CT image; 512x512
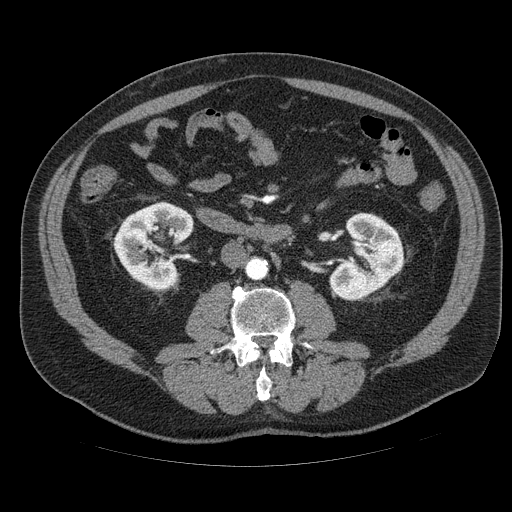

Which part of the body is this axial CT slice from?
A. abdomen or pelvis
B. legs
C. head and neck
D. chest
Answer: A. abdomen or pelvis
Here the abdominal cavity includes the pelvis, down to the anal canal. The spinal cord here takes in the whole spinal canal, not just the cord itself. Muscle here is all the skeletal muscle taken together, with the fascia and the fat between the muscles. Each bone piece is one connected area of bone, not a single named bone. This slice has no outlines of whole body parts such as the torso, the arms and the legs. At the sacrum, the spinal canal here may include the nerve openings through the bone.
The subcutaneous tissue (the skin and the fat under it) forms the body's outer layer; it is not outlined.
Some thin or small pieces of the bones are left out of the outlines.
{"muscle":[{"outer":[[252,73],[334,83],[403,109],[459,153],[481,197],[485,245],[479,278],[447,343],[428,357],[386,369],[351,400],[326,412],[295,414],[265,401],[273,384],[267,364],[290,368],[294,363],[297,318],[286,295],[290,284],[307,283],[325,299],[335,322],[329,340],[356,341],[378,356],[426,327],[452,281],[460,237],[456,192],[432,146],[407,119],[279,78],[249,77],[106,131],[87,151],[61,216],[84,311],[110,335],[152,360],[170,344],[195,341],[186,325],[200,294],[228,282],[232,336],[208,352],[228,350],[240,368],[260,362],[254,382],[260,401],[241,414],[198,413],[148,377],[87,349],[57,313],[45,279],[38,240],[40,204],[53,174],[70,154],[138,104]],"hole":[[302,341],[307,341],[309,343],[311,343],[313,345],[313,346],[314,347],[314,349],[310,349],[309,348],[306,348],[305,347],[304,347],[303,346],[302,346],[301,345],[300,345],[299,344],[299,343],[300,342],[301,342]]}],"spinal_cord":[[[256,336],[273,336],[274,337],[275,337],[275,339],[273,341],[273,342],[272,343],[272,346],[271,347],[270,347],[267,349],[264,349],[263,348],[261,348],[260,347],[260,346],[255,341],[254,341],[252,339],[252,338],[253,337],[255,337]]],"abdominal_cavity":[[[249,78],[279,79],[407,120],[445,168],[459,212],[451,281],[435,315],[402,345],[372,355],[359,341],[329,339],[336,330],[330,306],[299,280],[285,292],[210,285],[186,321],[194,341],[170,343],[152,359],[85,311],[62,216],[92,145]]],"bones":[{"outer":[[236,286],[247,290],[263,286],[280,289],[289,298],[295,313],[295,326],[291,332],[293,363],[290,367],[277,362],[266,364],[272,384],[270,397],[264,401],[256,397],[259,360],[240,367],[228,349],[215,354],[209,352],[233,336],[230,308],[232,290]],"hole":[[256,336],[273,336],[274,337],[275,337],[275,339],[273,341],[273,342],[272,343],[272,346],[271,347],[270,347],[267,349],[264,349],[263,348],[261,348],[260,347],[260,346],[255,341],[254,341],[252,339],[252,338],[253,337],[255,337]]}]}